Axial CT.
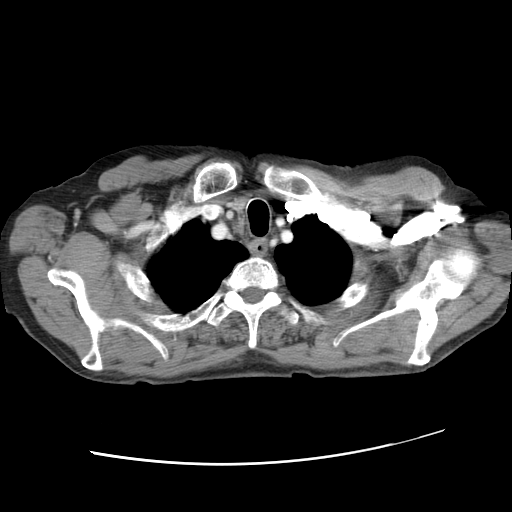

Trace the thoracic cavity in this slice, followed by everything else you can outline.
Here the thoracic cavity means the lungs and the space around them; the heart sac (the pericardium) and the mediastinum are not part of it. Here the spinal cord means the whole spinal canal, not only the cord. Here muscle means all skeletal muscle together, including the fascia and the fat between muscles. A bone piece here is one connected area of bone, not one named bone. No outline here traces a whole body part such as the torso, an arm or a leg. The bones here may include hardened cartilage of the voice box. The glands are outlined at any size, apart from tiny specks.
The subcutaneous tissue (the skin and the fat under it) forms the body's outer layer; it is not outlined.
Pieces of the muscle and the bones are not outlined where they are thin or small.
The thoracic cavity is outlined by 254 194; 285 199; 272 216; 281 243; 293 239; 292 222; 307 214; 334 230; 352 253; 348 284; 333 300; 306 305; 293 296; 272 261; 249 256; 199 305; 174 312; 145 272; 151 256; 198 216; 213 240; 240 242; 224 204; 241 213. The spinal cord is outlined by 248 287; 257 287; 258 288; 263 290; 265 292; 264 293; 262 298; 260 300; 259 300; 254 303; 250 303; 249 302; 246 302; 244 300; 244 299; 240 294; 240 292; 241 291; 242 291; 244 289; 245 289. The bones appear in 9 outlined pieces: piece 1: 249 257; 272 262; 285 293; 322 315; 326 324; 306 322; 300 317; 293 325; 279 314; 279 306; 271 307; 259 317; 256 346; 250 349; 247 321; 236 310; 216 326; 202 320; 178 331; 148 325; 138 314; 185 314; 207 300; 234 266, around a hole outlined by 248 287; 257 287; 258 288; 263 290; 265 292; 264 293; 262 298; 260 300; 259 300; 254 303; 250 303; 249 302; 246 302; 244 300; 244 299; 240 294; 240 292; 241 291; 242 291; 244 289; 245 289; piece 2: 466 245; 478 256; 480 264; 476 275; 456 298; 438 302; 435 309; 437 325; 427 345; 431 356; 427 363; 406 364; 414 347; 420 317; 415 309; 350 332; 337 346; 333 345; 342 330; 393 308; 396 296; 422 280; 434 259; 450 248; piece 3: 51 268; 73 270; 79 274; 93 310; 102 318; 121 318; 141 326; 165 345; 168 358; 165 360; 140 333; 125 327; 114 329; 109 326; 98 339; 103 369; 95 371; 84 367; 80 360; 91 347; 90 332; 73 294; 48 279; 47 272; piece 4: 270 165; 280 166; 287 169; 294 169; 309 176; 317 184; 319 190; 325 195; 327 199; 319 204; 314 204; 313 205; 298 198; 294 199; 293 198; 288 197; 281 193; 275 192; 274 191; 270 191; 263 182; 264 172; 266 168; piece 5: 217 161; 218 162; 228 162; 233 166; 236 171; 237 185; 233 189; 227 192; 211 197; 207 200; 205 200; 202 202; 195 202; 193 200; 193 189; 192 187; 195 181; 196 171; 198 169; 201 168; 205 164; 207 164; 211 162; 216 162; piece 6: 178 202; 180 202; 178 205; 179 207; 204 206; 203 208; 199 209; 201 210; 199 215; 186 221; 178 231; 175 234; 169 236; 165 242; 153 254; 150 256; 148 255; 145 249; 145 244; 152 226; 154 223; 159 220; 159 218; 166 208; piece 7: 118 260; 138 266; 144 271; 147 277; 149 279; 150 283; 155 292; 154 294; 154 297; 153 298; 154 299; 154 301; 153 302; 148 302; 145 300; 143 300; 139 298; 130 290; 130 289; 127 286; 124 278; 116 267; 116 262; piece 8: 357 281; 361 281; 362 282; 367 282; 368 283; 368 291; 366 295; 359 302; 358 302; 353 306; 351 306; 350 307; 348 307; 347 308; 342 309; 340 307; 340 305; 334 300; 336 298; 337 298; 343 292; 343 291; 349 284; 351 284; piece 9: 330 227; 351 227; 353 229; 353 230; 354 231; 354 232; 355 233; 355 235; 356 236; 356 237; 357 238; 357 243; 356 242; 351 242; 349 244; 348 243; 347 243; 347 242; 334 229; 333 229; 332 228; 331 228. The thyroid glands are outlined by 241 197; 246 197; 246 201; 245 202; 245 203; 243 206; 243 208; 242 209; 242 211; 241 212; 237 212; 233 208; 230 208; 229 207; 228 207; 227 206; 226 206; 226 202; 228 202; 229 201; 229 200; 234 200; 237 198; 240 198. The muscle is outlined by 194 153; 238 160; 246 169; 271 160; 343 176; 426 168; 469 222; 492 219; 510 228; 508 295; 489 317; 431 355; 439 302; 456 299; 481 264; 469 244; 450 247; 431 261; 422 279; 395 296; 393 307; 342 329; 332 341; 337 347; 350 333; 415 310; 419 317; 405 364; 416 366; 384 362; 321 370; 282 364; 250 350; 215 367; 173 377; 96 373; 104 369; 100 334; 109 327; 140 334; 165 361; 168 348; 135 322; 102 317; 92 308; 79 273; 51 267; 47 279; 72 294; 89 332; 90 347; 79 361; 42 328; 26 301; 8 254; 14 221; 35 204; 62 212; 78 208; 91 199; 103 171; 131 156; 155 160, around holes outlined by 254 194; 351 227; 348 283; 367 282; 366 295; 344 309; 334 300; 308 305; 326 324; 293 325; 271 307; 253 349; 236 310; 216 326; 146 324; 138 312; 173 310; 157 293; 153 302; 136 296; 116 262; 146 270; 146 239; 174 203 and by 270 165; 280 166; 287 169; 294 169; 309 176; 317 184; 319 190; 325 195; 327 199; 319 204; 314 204; 313 205; 298 198; 294 199; 293 198; 288 197; 281 193; 275 192; 274 191; 270 191; 263 182; 264 172; 266 168 and by 217 161; 218 162; 228 162; 233 166; 236 171; 237 185; 233 189; 227 192; 211 197; 207 200; 205 200; 202 202; 195 202; 193 200; 193 189; 192 187; 195 181; 196 171; 198 169; 201 168; 205 164; 207 164; 211 162; 216 162. The mediastinum appears in 2 outlined pieces: piece 1: 214 204; 221 204; 224 206; 224 215; 226 218; 226 221; 227 223; 231 226; 231 228; 233 231; 241 238; 241 240; 240 241; 229 241; 224 239; 213 239; 210 228; 200 219; 200 213; 202 209; 203 209; 205 206; 209 206; piece 2: 284 202; 288 202; 295 205; 305 206; 311 209; 314 213; 316 213; 312 214; 307 213; 291 222; 290 224; 290 230; 292 234; 292 239; 289 242; 281 242; 280 241; 277 229; 275 227; 275 224; 273 221; 273 216; 279 209; 282 203.